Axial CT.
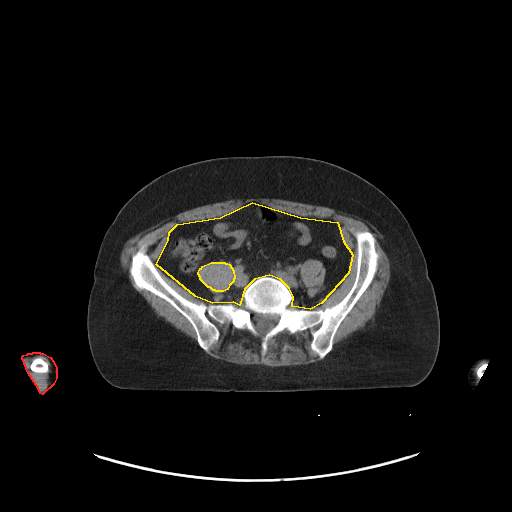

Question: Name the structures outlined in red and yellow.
Answer: red: right arm; yellow: abdominal cavity.
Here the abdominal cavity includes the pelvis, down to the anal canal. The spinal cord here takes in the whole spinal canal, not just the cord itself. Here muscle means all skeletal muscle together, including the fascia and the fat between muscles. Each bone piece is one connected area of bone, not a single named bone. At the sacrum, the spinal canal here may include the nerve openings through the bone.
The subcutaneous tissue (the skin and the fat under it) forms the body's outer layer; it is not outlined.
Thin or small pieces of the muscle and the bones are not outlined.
Outlines (x, y in pixels):
right arm: (33, 352) (39, 352) (40, 353) (43, 353) (50, 357) (53, 361) (56, 368) (56, 378) (53, 384) (42, 394) (40, 393) (38, 388) (28, 373) (26, 369) (26, 367) (24, 364) (24, 362) (22, 359) (22, 356) (23, 355) (27, 354) (28, 353) (32, 353)
abdominal cavity: (252, 202) (300, 217) (337, 222) (343, 241) (352, 254) (348, 273) (321, 303) (310, 309) (292, 306) (293, 296) (289, 288) (280, 279) (269, 275) (254, 279) (244, 289) (239, 305) (233, 302) (212, 303) (195, 296) (156, 264) (168, 240) (169, 232) (177, 224) (220, 217) with a hole at (211, 262) (224, 262) (225, 263) (227, 263) (229, 264) (233, 270) (234, 278) (233, 279) (233, 281) (229, 285) (227, 289) (223, 291) (216, 291) (215, 290) (213, 290) (210, 287) (208, 287) (200, 279) (200, 277) (198, 274) (198, 272) (200, 268) (201, 268) (202, 266)
muscle 1: (247, 198) (283, 199) (333, 208) (359, 216) (383, 234) (379, 241) (389, 260) (390, 279) (376, 308) (374, 318) (340, 341) (331, 352) (335, 335) (341, 323) (370, 285) (378, 269) (380, 255) (376, 249) (376, 239) (368, 230) (358, 230) (354, 233) (356, 271) (350, 289) (337, 303) (323, 309) (311, 308) (321, 304) (340, 285) (349, 273) (350, 260) (353, 254) (353, 251) (344, 241) (338, 222) (333, 219) (300, 216) (252, 201) (220, 216) (177, 223) (168, 232) (167, 240) (155, 264) (145, 247) (141, 245) (132, 254) (130, 260) (129, 273) (134, 282) (134, 286) (139, 290) (163, 299) (181, 314) (191, 325) (197, 343) (163, 317) (158, 316) (134, 288) (127, 277) (120, 262) (120, 254) (125, 242) (137, 233) (156, 225) (163, 219) (195, 207) (230, 199)
muscle 2: (214, 322) (219, 324) (230, 322) (236, 329) (245, 329) (253, 335) (259, 336) (263, 355) (268, 349) (269, 341) (283, 331) (286, 330) (294, 334) (310, 330) (310, 348) (320, 360) (308, 364) (268, 366) (263, 364) (237, 364) (217, 359) (207, 353) (220, 336) (220, 331)
muscle 3: (211, 262) (224, 262) (225, 263) (227, 263) (229, 264) (233, 270) (234, 278) (233, 279) (233, 281) (229, 285) (227, 289) (223, 291) (216, 291) (215, 290) (213, 290) (210, 287) (208, 287) (200, 279) (200, 277) (198, 274) (198, 272) (200, 268) (201, 268) (202, 266)
muscle 4: (308, 259) (315, 259) (316, 260) (321, 260) (322, 261) (323, 263) (323, 266) (325, 268) (325, 276) (324, 277) (324, 280) (323, 281) (323, 286) (321, 286) (320, 287) (306, 287) (304, 286) (304, 285) (302, 283) (300, 279) (300, 268) (303, 265) (303, 263) (306, 260)
muscle 5: (32, 357) (35, 357) (32, 359) (30, 363) (30, 369) (35, 373) (42, 374) (43, 373) (47, 373) (49, 371) (49, 364) (43, 358) (46, 359) (50, 365) (50, 374) (47, 380) (47, 385) (41, 391) (39, 391) (34, 383) (32, 378) (28, 373) (23, 361) (24, 359)
muscle 6: (156, 265) (163, 272) (164, 274) (165, 274) (169, 278) (176, 282) (180, 286) (187, 290) (195, 297) (199, 298) (202, 300) (208, 301) (211, 303) (209, 304) (206, 304) (203, 302) (197, 303) (181, 295) (166, 282) (166, 281) (160, 274)
muscle 7: (482, 362) (484, 362) (480, 366) (479, 366) (478, 367) (478, 368) (476, 370) (476, 373) (477, 374) (477, 375) (479, 378) (479, 379) (478, 380) (478, 382) (476, 384) (476, 382) (475, 381) (475, 375) (474, 374) (474, 373) (475, 372) (475, 368) (480, 363) (481, 363)
torso: (265, 155) (303, 156) (339, 165) (375, 185) (400, 209) (424, 253) (438, 306) (440, 343) (436, 361) (428, 376) (411, 387) (292, 392) (151, 391) (122, 389) (108, 383) (99, 373) (90, 352) (87, 306) (98, 250) (105, 232) (119, 210) (140, 188) (176, 167) (217, 157)
left arm: (485, 357) (487, 357) (488, 358) (488, 360) (486, 361) (485, 363) (484, 362) (483, 363) (483, 365) (481, 366) (483, 367) (481, 368) (478, 382) (472, 389) (470, 387) (467, 380) (467, 374) (468, 373) (468, 371) (470, 367) (475, 361) (480, 358) (484, 358)
spinal cord: (251, 314) (261, 314) (262, 315) (278, 315) (279, 316) (279, 319) (278, 320) (278, 321) (273, 326) (273, 327) (272, 327) (269, 330) (268, 330) (264, 333) (260, 333) (259, 332) (259, 331) (252, 323) (252, 321) (251, 320) (251, 317) (250, 316) (250, 315)
bones 1: (358, 231) (374, 237) (377, 269) (322, 359) (310, 329) (283, 330) (263, 354) (261, 337) (230, 321) (213, 322) (219, 336) (206, 352) (189, 321) (130, 273) (143, 246) (165, 282) (194, 303) (240, 306) (245, 289) (269, 276) (288, 288) (292, 307) (323, 310) (354, 283) with a hole at (251, 314) (261, 314) (262, 315) (278, 315) (279, 316) (279, 319) (278, 320) (278, 321) (273, 326) (273, 327) (272, 327) (269, 330) (268, 330) (264, 333) (260, 333) (259, 332) (259, 331) (252, 323) (252, 321) (251, 320) (251, 317) (250, 316) (250, 315)
bones 2: (36, 357) (41, 357) (42, 358) (42, 359) (43, 360) (44, 360) (48, 364) (48, 371) (47, 372) (43, 372) (42, 373) (41, 373) (40, 372) (35, 372) (34, 371) (33, 371) (31, 369) (31, 363) (32, 362) (32, 361) (33, 360) (33, 359) (34, 358) (35, 358)